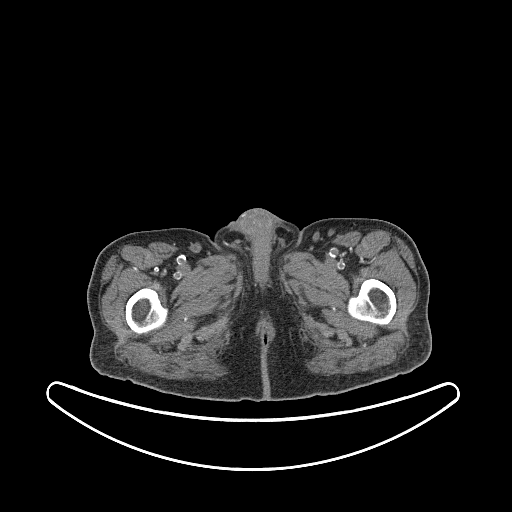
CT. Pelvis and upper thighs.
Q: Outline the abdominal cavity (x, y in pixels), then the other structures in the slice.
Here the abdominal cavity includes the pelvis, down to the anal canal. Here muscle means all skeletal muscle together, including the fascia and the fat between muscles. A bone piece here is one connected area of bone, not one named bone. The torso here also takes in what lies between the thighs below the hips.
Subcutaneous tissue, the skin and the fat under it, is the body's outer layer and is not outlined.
A: {"abdominal_cavity":[[[263,323],[264,324],[265,324],[266,325],[267,325],[269,327],[269,328],[270,329],[270,331],[271,332],[271,337],[270,338],[270,340],[267,343],[267,344],[264,344],[263,343],[263,341],[262,340],[262,337],[260,334],[260,328],[261,327],[261,325]]],"torso":[[[250,208],[266,209],[282,219],[293,222],[300,228],[294,243],[277,259],[266,279],[264,306],[269,319],[276,328],[276,334],[265,356],[265,361],[252,342],[252,324],[261,311],[254,270],[236,255],[217,245],[212,237],[217,229],[233,221]]],"bones":[[[369,278],[375,278],[384,282],[387,285],[388,285],[394,292],[394,294],[396,298],[396,310],[391,320],[387,324],[380,325],[369,321],[360,320],[352,317],[347,311],[347,303],[349,298],[352,296],[355,296],[358,293],[359,288],[362,282],[364,280]],[[144,287],[151,288],[157,292],[158,297],[160,300],[161,304],[164,307],[168,309],[168,313],[167,314],[167,318],[164,324],[160,327],[150,330],[145,333],[137,333],[133,331],[126,322],[126,319],[125,318],[125,305],[128,298],[133,293],[137,290]]],"right_leg":[[[172,227],[189,228],[210,236],[217,246],[233,254],[253,270],[260,311],[251,324],[251,342],[264,360],[264,390],[267,401],[215,401],[182,397],[128,380],[101,375],[92,367],[89,350],[93,328],[87,308],[86,291],[97,255],[107,244],[125,234]]],"left_leg":[[[331,217],[385,220],[399,226],[413,239],[429,276],[430,289],[427,315],[432,338],[430,355],[423,364],[408,373],[339,394],[268,401],[265,390],[265,362],[277,334],[277,328],[270,319],[265,306],[268,276],[278,259],[295,243],[301,228],[314,221]]],"muscle":[{"outer":[[154,241],[170,244],[173,242],[195,260],[208,254],[232,254],[240,263],[244,300],[229,336],[226,355],[226,366],[229,373],[215,383],[194,385],[163,379],[125,366],[114,356],[115,337],[99,316],[98,291],[102,271],[110,256],[123,245],[147,244]],"hole":[[144,287],[151,288],[157,292],[158,297],[160,300],[161,304],[164,307],[168,309],[168,313],[167,314],[167,318],[164,324],[160,327],[150,330],[145,333],[137,333],[133,331],[126,322],[126,319],[125,318],[125,305],[128,298],[133,293],[137,290]]},{"outer":[[367,227],[389,231],[400,238],[413,254],[418,272],[419,294],[408,329],[409,345],[395,362],[373,370],[315,376],[305,366],[307,357],[302,346],[302,331],[298,312],[280,284],[279,268],[282,265],[283,255],[293,251],[308,251],[329,241],[336,234]],"hole":[[369,278],[375,278],[384,282],[387,285],[388,285],[394,292],[394,294],[396,298],[396,310],[391,320],[387,324],[380,325],[369,321],[360,320],[352,317],[347,311],[347,303],[349,298],[352,296],[355,296],[358,293],[359,288],[362,282],[364,280]]},{"outer":[[265,317],[268,318],[270,320],[274,328],[274,338],[272,340],[270,344],[265,347],[263,345],[262,345],[262,343],[261,341],[258,338],[257,336],[257,334],[256,333],[256,329],[257,328],[257,325],[258,324],[258,322],[261,319]],"hole":[[263,323],[264,324],[265,324],[266,325],[267,325],[269,327],[269,328],[270,329],[270,331],[271,332],[271,337],[270,338],[270,340],[267,343],[267,344],[264,344],[263,343],[263,341],[262,340],[262,337],[260,334],[260,328],[261,327],[261,325]]}]}